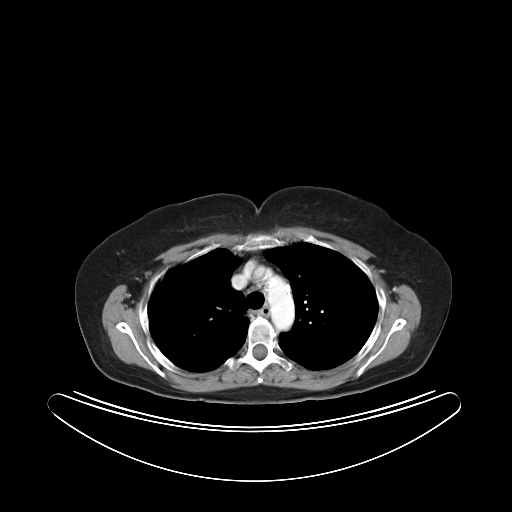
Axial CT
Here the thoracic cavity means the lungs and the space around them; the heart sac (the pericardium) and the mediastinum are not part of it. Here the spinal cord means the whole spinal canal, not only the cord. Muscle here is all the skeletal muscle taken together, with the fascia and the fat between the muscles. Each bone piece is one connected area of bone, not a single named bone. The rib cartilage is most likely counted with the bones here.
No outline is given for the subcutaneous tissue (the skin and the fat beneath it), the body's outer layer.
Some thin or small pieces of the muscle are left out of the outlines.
Outlines (x, y in pixels):
bones 1: 257 317; 264 318; 271 324; 277 333; 277 341; 283 354; 295 362; 289 371; 277 363; 270 363; 261 373; 261 383; 257 382; 259 373; 247 363; 241 363; 234 370; 222 365; 228 358; 240 358; 248 352; 248 327; 251 320; inner edge: 259 344; 260 344; 261 345; 263 345; 266 348; 266 355; 264 357; 263 357; 262 358; 261 358; 260 359; 259 359; 258 358; 256 358; 253 355; 253 354; 252 353; 252 351; 253 350; 253 348; 256 345; 258 345
bones 2: 352 256; 360 259; 369 267; 372 275; 373 282; 376 285; 382 287; 385 293; 385 307; 381 321; 381 327; 379 334; 370 350; 358 362; 354 362; 353 357; 359 351; 369 337; 377 320; 379 306; 374 286; 368 277; 349 258; 349 257
bones 3: 141 300; 144 302; 147 302; 147 317; 149 324; 149 335; 150 339; 154 342; 159 350; 169 360; 180 368; 182 373; 177 373; 173 371; 170 371; 162 366; 149 350; 146 343; 147 335; 144 332; 141 326; 138 314; 138 305
bones 4: 250 233; 251 234; 258 234; 259 233; 272 234; 279 239; 286 241; 288 244; 282 246; 277 246; 272 248; 268 248; 267 249; 241 251; 236 254; 234 254; 229 249; 236 244; 240 244; 244 242; 247 235
bones 5: 398 318; 404 319; 406 321; 405 324; 401 329; 394 331; 390 335; 388 338; 385 347; 380 353; 366 366; 361 375; 357 378; 355 377; 355 373; 357 370; 371 355; 374 354; 381 347; 388 332; 392 326; 392 324; 394 321
bones 6: 122 321; 127 323; 127 324; 130 327; 131 331; 142 352; 154 364; 157 365; 160 368; 160 369; 165 374; 165 377; 162 377; 159 375; 143 358; 135 347; 135 345; 132 341; 130 336; 127 333; 120 331; 116 327; 116 324
bones 7: 294 230; 299 230; 307 234; 311 234; 319 240; 322 240; 332 244; 335 246; 339 251; 337 251; 336 250; 334 250; 324 246; 321 246; 314 243; 311 243; 310 242; 307 242; 306 241; 300 240; 292 233; 292 231
bones 8: 211 242; 220 242; 221 243; 221 246; 220 247; 217 247; 214 249; 212 249; 197 257; 195 257; 194 258; 191 259; 189 261; 187 261; 186 262; 183 262; 183 261; 188 256; 189 256; 191 254; 194 253; 197 250; 208 245
bones 9: 163 268; 166 268; 166 272; 161 278; 161 279; 160 279; 156 283; 156 284; 153 288; 153 290; 152 291; 150 296; 149 297; 148 297; 148 289; 149 288; 149 285; 150 284; 150 280; 151 279; 151 278; 156 272; 161 270
spinal cord: 259 344; 260 344; 261 345; 263 345; 266 348; 266 355; 264 357; 263 357; 262 358; 261 358; 260 359; 259 359; 258 358; 256 358; 253 355; 253 354; 252 353; 252 351; 253 350; 253 348; 256 345; 258 345
mediastinum: 258 250; 264 250; 265 257; 270 262; 279 266; 289 281; 291 288; 294 303; 294 321; 288 331; 280 332; 278 335; 266 318; 257 316; 250 321; 246 315; 250 306; 249 300; 240 291; 230 285; 232 273; 241 261; 236 255; 241 252
thoracic cavity 1: 300 241; 339 252; 348 258; 367 277; 373 286; 378 306; 375 323; 358 351; 345 362; 328 369; 310 369; 303 366; 286 356; 278 341; 279 334; 288 332; 294 324; 295 303; 290 281; 283 273; 280 266; 266 257; 265 250; 286 246
thoracic cavity 2: 221 247; 227 248; 240 260; 231 273; 229 285; 234 290; 240 292; 249 303; 245 312; 249 320; 246 337; 237 353; 228 357; 217 367; 207 371; 189 371; 181 368; 169 359; 152 338; 148 317; 148 302; 155 286; 169 270
torso: 296 185; 330 187; 383 204; 402 225; 434 245; 448 263; 452 275; 449 312; 433 350; 418 371; 337 398; 233 404; 155 395; 114 381; 95 366; 82 337; 74 303; 76 273; 95 246; 158 206; 218 192; 245 196; 259 206; 274 191
muscle 1: 276 225; 279 226; 294 226; 295 225; 308 226; 326 231; 353 241; 375 254; 376 257; 369 260; 380 270; 379 274; 389 288; 391 289; 396 285; 406 284; 413 289; 417 295; 421 305; 421 317; 419 325; 412 334; 408 346; 401 354; 393 359; 370 368; 362 374; 367 366; 386 347; 391 335; 394 332; 401 330; 406 324; 407 321; 404 318; 398 317; 391 324; 380 347; 374 353; 371 354; 356 370; 354 373; 354 377; 356 379; 323 390; 306 390; 305 389; 285 388; 258 384; 254 386; 244 386; 211 392; 190 392; 174 388; 161 379; 154 372; 135 364; 128 364; 117 357; 112 349; 109 338; 103 328; 101 320; 103 305; 110 292; 117 285; 126 284; 128 288; 127 289; 131 294; 131 297; 136 300; 139 297; 142 287; 147 280; 147 278; 144 274; 145 271; 151 272; 152 271; 153 272; 160 263; 159 261; 154 260; 154 258; 170 247; 174 245; 185 243; 215 232; 228 232; 229 233; 241 232; 245 234; 250 231; 268 230; 273 228, around holes outlined by 294 230; 332 244; 347 258; 360 259; 369 267; 373 282; 383 288; 380 331; 365 356; 328 369; 310 369; 296 362; 286 371; 273 362; 262 371; 261 383; 257 382; 259 373; 247 363; 234 370; 221 364; 198 372; 181 368; 182 373; 177 373; 157 361; 147 346; 138 314; 139 302; 150 299; 148 289; 156 272; 163 268; 167 272; 211 242; 229 249; 250 233; 272 234; 288 244; 299 242 and by 122 321; 127 323; 127 324; 130 327; 131 331; 142 352; 154 364; 157 365; 160 368; 160 369; 165 374; 165 377; 162 377; 159 375; 143 358; 135 347; 135 345; 132 341; 130 336; 127 333; 120 331; 116 327; 116 324
muscle 2: 247 337; 247 352; 244 355; 243 355; 242 356; 241 356; 240 357; 237 357; 236 356; 234 356; 235 356; 238 353; 238 352; 240 350; 240 349; 242 347; 242 346; 244 344; 244 343; 245 342; 245 340; 246 339; 246 338